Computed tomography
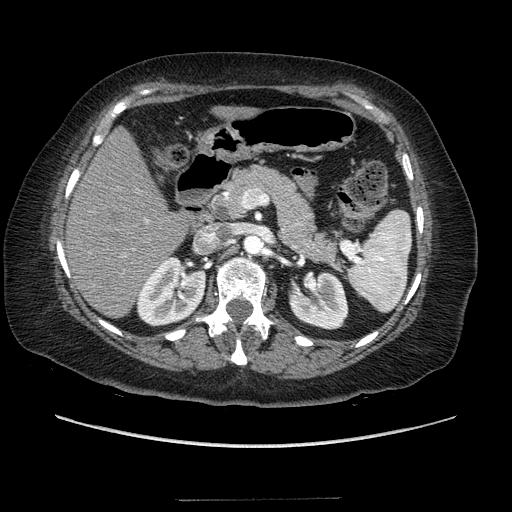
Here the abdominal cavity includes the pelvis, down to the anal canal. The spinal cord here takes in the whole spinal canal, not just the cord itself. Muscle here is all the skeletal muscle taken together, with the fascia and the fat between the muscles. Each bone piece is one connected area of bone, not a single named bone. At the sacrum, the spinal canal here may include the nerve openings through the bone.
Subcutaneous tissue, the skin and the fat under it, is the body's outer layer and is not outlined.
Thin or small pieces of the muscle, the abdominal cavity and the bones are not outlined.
Outlined structures:
muscle 1: (161, 78) (170, 82) (179, 83) (184, 82) (189, 84) (231, 84) (235, 82) (238, 84) (254, 84) (255, 85) (287, 85) (288, 84) (323, 85) (340, 81) (345, 83) (351, 83) (365, 89) (375, 97) (374, 100) (376, 103) (389, 110) (401, 124) (411, 146) (418, 157) (419, 165) (428, 191) (428, 198) (430, 203) (429, 206) (433, 219) (432, 252) (431, 253) (432, 257) (430, 262) (431, 265) (429, 268) (425, 287) (425, 296) (423, 299) (421, 308) (415, 320) (396, 338) (386, 343) (359, 361) (340, 370) (311, 378) (277, 379) (252, 370) (240, 371) (229, 365) (216, 370) (199, 371) (196, 373) (190, 373) (187, 371) (177, 372) (153, 366) (131, 357) (108, 344) (65, 311) (61, 307) (61, 302) (58, 300) (57, 297) (58, 292) (55, 287) (53, 275) (54, 271) (54, 266) (52, 263) (53, 259) (50, 255) (51, 254) (48, 248) (48, 235) (50, 232) (49, 224) (52, 212) (51, 203) (56, 192) (56, 187) (59, 178) (62, 175) (71, 155) (78, 146) (91, 122) (98, 112) (105, 105) (111, 101) (114, 97) (123, 93) (128, 87) (138, 83) (142, 83) (146, 81) (154, 81) with holes at (240, 89) (296, 93) (372, 120) (369, 111) (345, 94) (355, 94) (389, 116) (388, 124) (378, 123) (395, 142) (397, 158) (401, 160) (403, 151) (409, 156) (411, 203) (423, 210) (415, 268) (421, 279) (410, 300) (402, 302) (365, 345) (353, 347) (358, 339) (327, 338) (298, 345) (294, 336) (301, 333) (276, 309) (278, 287) (273, 280) (263, 287) (262, 309) (278, 322) (265, 340) (251, 326) (243, 333) (243, 366) (230, 360) (235, 334) (229, 327) (211, 337) (208, 325) (192, 317) (177, 327) (186, 333) (173, 341) (159, 333) (139, 335) (123, 329) (120, 336) (97, 321) (60, 264) (56, 239) (64, 238) (65, 188) (73, 169) (82, 172) (96, 151) (92, 137) (109, 109) (127, 96) (133, 97) (130, 109) and at (146, 88) (153, 88) (154, 89) (155, 89) (151, 93) (149, 93) (148, 94) (147, 94) (146, 95) (139, 95) (138, 94) (137, 94) (137, 93) (140, 90) (141, 90) (142, 89) (145, 89)
muscle 2: (210, 285) (211, 286) (212, 285) (214, 286) (216, 288) (216, 290) (218, 293) (217, 295) (217, 303) (216, 304) (216, 306) (215, 308) (211, 312) (204, 313) (201, 315) (195, 315) (196, 312) (200, 309) (200, 308) (204, 303) (204, 300) (205, 299) (206, 292)
spinal cord: (233, 299) (243, 299) (244, 300) (246, 300) (247, 301) (248, 301) (251, 304) (251, 305) (252, 306) (252, 312) (239, 324) (238, 324) (237, 323) (235, 323) (235, 322) (234, 321) (234, 319) (227, 312) (227, 311) (226, 310) (226, 305) (231, 300) (232, 300)
abdominal cavity: (240, 89) (347, 107) (377, 122) (395, 142) (415, 210) (415, 273) (395, 311) (359, 339) (301, 333) (276, 309) (278, 287) (263, 266) (241, 255) (216, 267) (215, 286) (208, 286) (188, 321) (152, 335) (97, 315) (72, 279) (63, 243) (68, 201) (114, 121) (137, 106)
bones 1: (241, 256) (250, 258) (265, 271) (262, 309) (266, 316) (278, 321) (269, 328) (265, 340) (251, 326) (243, 333) (242, 347) (247, 358) (243, 366) (230, 360) (235, 348) (235, 334) (229, 327) (227, 331) (211, 337) (208, 325) (193, 319) (211, 313) (217, 306) (217, 267); inner edge: (233, 299) (243, 299) (244, 300) (246, 300) (247, 301) (248, 301) (251, 304) (251, 305) (252, 306) (252, 312) (239, 324) (238, 324) (237, 323) (235, 323) (235, 322) (234, 321) (234, 319) (227, 312) (227, 311) (226, 310) (226, 305) (231, 300) (232, 300)
bones 2: (127, 96) (132, 96) (133, 97) (133, 99) (131, 101) (129, 106) (125, 110) (120, 113) (113, 121) (105, 136) (103, 138) (103, 140) (101, 143) (100, 143) (96, 147) (93, 146) (92, 145) (92, 137) (94, 134) (94, 132) (99, 125) (101, 119) (108, 110) (118, 101)
bones 3: (346, 92) (348, 92) (352, 94) (355, 94) (375, 105) (378, 108) (383, 111) (388, 116) (389, 116) (390, 118) (390, 122) (388, 124) (385, 124) (384, 123) (382, 123) (381, 122) (377, 121) (372, 116) (369, 111) (365, 109) (360, 104) (348, 97) (345, 94)
bones 4: (57, 238) (59, 238) (62, 241) (62, 243) (63, 244) (63, 249) (64, 250) (64, 253) (65, 254) (65, 259) (67, 262) (67, 265) (69, 269) (69, 272) (71, 275) (71, 278) (69, 278) (66, 276) (60, 264) (60, 262) (57, 255) (57, 252) (56, 251) (56, 239)
bones 5: (76, 167) (79, 167) (79, 168) (81, 170) (81, 174) (79, 176) (79, 177) (69, 196) (69, 198) (68, 199) (68, 200) (66, 200) (65, 199) (65, 197) (64, 196) (64, 195) (65, 194) (65, 188) (66, 187) (66, 185) (67, 184) (68, 179) (69, 178) (73, 169)
bones 6: (403, 151) (406, 151) (406, 152) (409, 156) (409, 159) (410, 160) (410, 163) (411, 164) (411, 167) (412, 168) (412, 172) (413, 173) (413, 179) (411, 181) (409, 181) (407, 179) (406, 177) (406, 175) (404, 172) (404, 170) (403, 169) (402, 164) (401, 163) (401, 153)
bones 7: (419, 271) (420, 272) (421, 272) (421, 279) (419, 282) (419, 284) (418, 285) (418, 286) (417, 287) (414, 294) (412, 296) (412, 297) (410, 299) (410, 300) (406, 304) (403, 304) (403, 301) (406, 297) (406, 295) (412, 284) (412, 282) (414, 279) (415, 274)
bones 8: (177, 328) (184, 328) (186, 330) (186, 333) (181, 338) (179, 339) (177, 339) (176, 340) (174, 340) (172, 341) (171, 340) (168, 340) (166, 339) (162, 335) (160, 335) (161, 333) (163, 333) (164, 332) (167, 332) (168, 331) (170, 331) (171, 330) (173, 330)
bones 9: (95, 315) (97, 316) (99, 316) (104, 320) (106, 320) (108, 322) (111, 323) (113, 325) (117, 327) (120, 330) (121, 330) (121, 331) (123, 333) (123, 336) (120, 336) (104, 328) (97, 321)
bones 10: (377, 329) (378, 329) (379, 331) (378, 334) (375, 337) (375, 338) (373, 339) (369, 343) (365, 345) (360, 346) (359, 347) (353, 347) (352, 346) (353, 344) (356, 343) (362, 337) (368, 334) (370, 332) (374, 330) (376, 330)
bones 11: (418, 205) (420, 205) (421, 206) (421, 207) (422, 208) (422, 209) (423, 210) (423, 231) (422, 232) (422, 233) (421, 234) (419, 234) (419, 233) (418, 232) (418, 230) (417, 229) (417, 226) (416, 225) (416, 208) (417, 207) (417, 206)
torso: (196, 51) (270, 52) (345, 61) (391, 78) (424, 106) (465, 188) (478, 239) (477, 276) (463, 330) (443, 368) (405, 389) (362, 393) (327, 405) (209, 405) (131, 393) (92, 381) (28, 351) (16, 340) (4, 302) (3, 237) (31, 162) (72, 105) (97, 81) (143, 59)